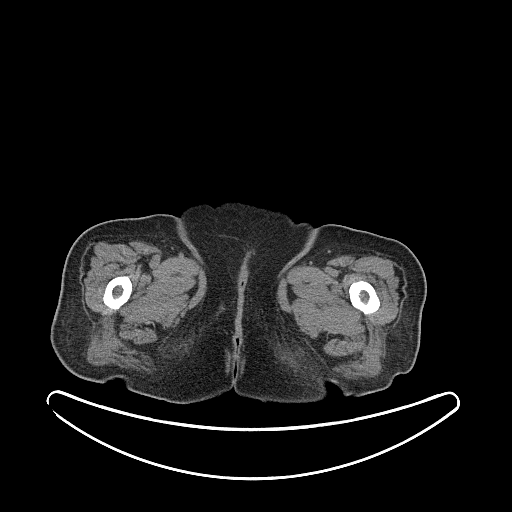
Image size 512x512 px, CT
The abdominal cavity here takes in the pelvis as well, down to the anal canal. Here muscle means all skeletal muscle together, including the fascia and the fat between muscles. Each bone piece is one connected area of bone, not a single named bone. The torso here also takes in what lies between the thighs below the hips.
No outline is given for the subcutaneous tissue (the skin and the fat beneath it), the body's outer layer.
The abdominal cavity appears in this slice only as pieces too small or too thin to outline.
The bones appear in 2 outlined pieces: piece 1: 358,280 365,280 369,282 374,287 376,291 376,293 379,299 379,307 374,312 372,313 370,313 369,314 364,314 360,310 354,307 352,305 349,299 349,287 350,285 354,281 357,281; piece 2: 121,275 127,275 129,276 130,280 131,281 131,283 132,284 132,291 129,297 129,299 118,309 116,309 115,310 108,307 103,302 103,294 104,293 104,290 107,283 112,278 116,276 120,276. The left leg is outlined by 323,224 339,224 404,243 415,254 423,268 427,292 421,312 419,349 415,363 408,372 397,375 387,388 358,397 344,396 337,386 327,383 328,395 316,401 304,373 272,327 271,319 274,279 309,241 314,226. The torso is outlined by 224,201 278,209 296,222 307,221 313,225 308,241 272,281 270,325 303,373 315,402 266,404 239,397 233,389 203,402 178,404 158,399 174,375 211,300 210,273 196,254 177,216 191,205 206,203 214,206. The right leg is outlined by 151,214 176,216 195,254 208,271 210,280 210,300 206,311 173,375 157,399 127,389 119,379 97,383 74,375 62,365 50,342 50,327 60,293 62,271 68,251 76,238 83,231 100,222 117,218 138,218. The muscle appears in 2 outlined pieces: piece 1: 113,235 150,235 167,239 187,254 198,258 206,271 207,291 203,301 191,311 163,346 160,354 163,374 157,380 144,380 116,369 91,369 85,365 84,349 92,326 81,303 79,283 81,259 92,239 97,236, around a hole outlined by 121,275 127,275 129,276 130,280 131,281 131,283 132,284 132,291 129,297 129,299 118,309 116,309 115,310 108,307 103,302 103,294 104,293 104,290 107,283 112,278 116,276 120,276; piece 2: 339,244 377,251 383,255 396,258 401,263 405,276 407,289 404,293 405,298 401,317 390,335 383,370 373,377 349,378 329,369 308,346 290,317 279,308 276,300 278,283 286,271 293,266 308,262 323,248, around a hole outlined by 358,280 365,280 369,282 374,287 376,291 376,293 379,299 379,307 374,312 372,313 370,313 369,314 364,314 360,310 354,307 352,305 349,299 349,287 350,285 354,281 357,281.